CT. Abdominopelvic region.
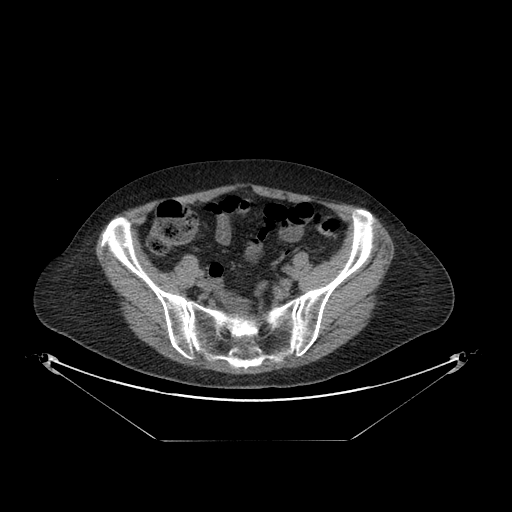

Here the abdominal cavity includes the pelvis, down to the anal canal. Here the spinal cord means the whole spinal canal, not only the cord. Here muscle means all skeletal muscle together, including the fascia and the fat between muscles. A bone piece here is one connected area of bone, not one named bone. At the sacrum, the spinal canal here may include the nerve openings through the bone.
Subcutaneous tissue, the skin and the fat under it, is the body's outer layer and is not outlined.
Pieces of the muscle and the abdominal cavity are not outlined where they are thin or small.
{"torso":[[[239,158],[269,158],[310,165],[347,179],[371,194],[416,234],[447,270],[455,300],[446,322],[356,369],[327,380],[292,387],[253,389],[202,387],[148,375],[92,352],[44,326],[36,317],[32,304],[36,279],[105,198],[126,183],[165,167]]],"spinal_cord":[[[243,352],[246,352],[247,353],[253,353],[254,354],[255,354],[255,355],[253,357],[252,357],[251,358],[241,358],[240,357],[239,357],[238,356],[237,356],[236,355],[236,354],[237,353],[242,353]],[[262,330],[263,330],[264,330],[265,331],[265,332],[265,333],[264,334],[263,334],[262,334],[261,333],[261,332],[261,331]],[[224,332],[225,332],[226,332],[227,333],[227,334],[227,335],[226,336],[225,336],[224,336],[223,335],[223,334],[223,333]]],"abdominal_cavity":[[[237,189],[290,202],[315,202],[334,211],[345,223],[343,240],[327,259],[313,265],[304,251],[293,256],[292,274],[299,295],[260,317],[187,298],[186,290],[200,271],[196,256],[186,253],[173,269],[162,271],[143,250],[137,228],[166,198],[201,204]]],"muscle":[[[373,214],[387,229],[394,243],[394,255],[370,322],[351,339],[315,361],[256,374],[230,374],[186,366],[165,357],[139,339],[111,295],[94,249],[98,233],[106,224],[100,234],[99,246],[106,247],[154,293],[162,306],[169,342],[180,355],[193,360],[196,354],[201,354],[209,362],[223,360],[232,368],[246,369],[258,367],[265,360],[281,363],[291,355],[301,357],[312,346],[319,336],[330,296],[371,255],[377,220]],[[247,182],[362,207],[353,208],[350,214],[352,221],[352,239],[348,257],[342,268],[324,285],[311,288],[300,294],[299,282],[293,274],[292,260],[294,256],[300,252],[304,252],[307,255],[308,261],[313,266],[316,266],[335,253],[340,248],[345,237],[346,223],[343,218],[334,210],[321,203],[302,200],[290,201],[287,199],[268,197],[244,188],[224,192],[201,203],[188,203],[173,197],[172,197],[166,197],[164,199],[159,201],[145,215],[143,222],[136,227],[139,242],[151,263],[162,272],[167,273],[173,270],[176,264],[186,254],[195,256],[199,271],[194,283],[185,290],[185,296],[164,290],[149,276],[136,255],[131,222],[123,215],[113,217],[124,210],[158,198],[171,196],[179,196],[223,185]]],"bones":[{"outer":[[355,208],[376,219],[373,247],[329,296],[315,341],[301,356],[265,359],[246,368],[209,361],[201,353],[193,359],[180,354],[170,342],[155,293],[100,246],[109,221],[123,216],[131,224],[139,263],[161,289],[208,308],[260,318],[338,274],[350,254]],"hole":[[243,352],[246,352],[247,353],[253,353],[254,354],[255,354],[255,355],[253,357],[252,357],[251,358],[241,358],[240,357],[239,357],[238,356],[237,356],[236,355],[236,354],[237,353],[242,353]]}]}